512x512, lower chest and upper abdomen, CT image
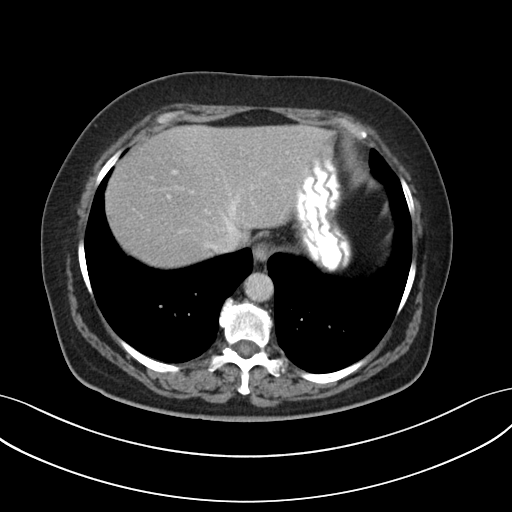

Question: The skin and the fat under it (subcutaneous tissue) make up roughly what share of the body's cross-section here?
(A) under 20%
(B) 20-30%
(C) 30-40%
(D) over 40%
Answer: (B) 20-30%
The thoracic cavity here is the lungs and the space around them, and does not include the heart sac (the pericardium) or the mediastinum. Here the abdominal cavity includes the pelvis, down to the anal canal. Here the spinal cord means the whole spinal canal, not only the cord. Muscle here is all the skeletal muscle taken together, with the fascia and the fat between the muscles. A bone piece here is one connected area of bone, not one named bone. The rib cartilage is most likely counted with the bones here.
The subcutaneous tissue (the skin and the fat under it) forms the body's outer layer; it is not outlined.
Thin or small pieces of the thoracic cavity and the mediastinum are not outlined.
torso: 194,70 343,78 381,92 417,124 445,185 453,246 437,308 431,352 412,384 389,396 338,412 278,421 238,422 179,417 142,409 109,398 73,375 56,335 42,279 40,230 48,192 71,146 105,105 145,81
abdominal cavity: 250,110 267,110 295,121 346,130 353,159 387,192 394,232 391,253 383,267 355,281 344,281 320,271 273,233 263,233 241,249 177,269 150,267 124,253 108,225 104,193 113,166 126,149 167,124 213,121
thoracic cavity 1: 112,167 103,193 104,213 113,238 126,256 150,268 167,271 189,267 244,248 251,249 251,271 221,306 218,316 221,335 217,336 205,352 195,358 171,363 142,353 116,333 98,306 88,273 84,239 97,188
thoracic cavity 2: 370,148 379,153 397,176 410,216 411,261 405,285 390,325 369,352 334,371 306,371 290,362 272,338 275,287 267,262 276,252 302,257 323,274 344,282 360,280 386,265 394,245 395,220 386,187 371,172
muscle 1: 183,102 196,103 197,104 213,104 214,105 263,105 264,106 279,106 280,107 330,109 331,110 346,112 349,114 361,118 376,128 397,158 404,165 413,177 418,192 422,200 426,223 427,224 427,228 428,229 425,288 424,289 424,299 423,300 423,306 422,307 422,313 421,314 421,321 419,324 418,331 413,341 411,343 408,350 404,354 367,379 358,382 351,387 349,387 336,394 322,398 298,400 276,406 265,406 263,407 252,404 245,396 242,395 234,396 223,403 214,403 198,398 183,398 182,399 181,398 168,397 164,395 161,395 151,390 133,376 130,375 117,365 111,362 94,348 83,337 77,329 71,315 70,303 68,297 68,288 67,287 66,252 68,245 68,239 69,238 69,232 71,225 72,212 77,202 78,197 82,189 88,171 102,153 113,142 132,125 140,120 148,113 154,111 164,105 167,105 172,103 182,103; inner edge: 174,110 184,113 168,124 213,121 250,110 267,110 295,121 337,128 342,127 335,119 345,118 366,131 367,136 361,141 375,149 397,177 405,180 414,206 410,222 415,276 402,309 364,356 367,361 355,371 335,381 317,383 301,377 297,371 304,370 289,361 278,376 255,365 249,370 249,393 243,395 237,390 241,371 236,364 227,362 214,371 208,370 210,356 219,354 226,344 220,334 199,356 176,363 181,367 176,372 146,367 119,343 118,334 87,290 78,261 78,242 85,238 98,187 96,177 102,166 117,150 124,151 166,125 158,123 156,118
muscle 2: 272,339 274,339 275,340 275,342 276,343 277,346 279,348 279,349 280,350 282,355 278,355 277,356 273,356 272,357 271,357 270,356 270,355 269,354 269,353 266,348 267,347 267,346 270,343 270,342
mediastinum 1: 263,234 273,234 280,236 300,255 296,256 289,253 276,251 272,253 267,259 267,273 272,280 274,287 273,318 266,309 246,298 241,301 236,301 230,296 252,271 252,249 250,247 247,247 251,245 257,237
mediastinum 2: 347,131 358,140 361,140 361,141 365,144 368,148 369,148 367,152 367,155 368,156 368,158 367,159 368,160 367,161 368,162 370,172 375,178 373,178 369,175 366,174 354,159 353,153 350,146
bones 1: 229,297 236,302 246,299 268,312 273,327 265,348 271,358 283,355 288,360 278,376 261,365 253,366 249,370 249,393 245,395 237,390 241,371 236,364 227,362 208,370 210,356 219,354 226,344 219,316 with a hole at 241,340 247,340 248,341 251,341 252,342 253,342 257,346 257,347 258,348 258,350 255,353 254,353 252,355 251,355 249,357 243,357 242,356 241,356 234,349 234,345 237,342 238,342 239,341 240,341
bones 2: 364,357 367,357 368,358 367,361 363,365 359,367 355,371 335,381 331,381 326,383 317,383 304,379 301,377 297,372 297,371 305,371 306,372 316,373 317,374 330,373 342,369 347,366 349,366
bones 3: 118,336 142,354 152,359 154,359 161,362 170,363 171,364 178,365 180,366 181,368 176,372 159,372 158,371 155,371 150,368 146,367 143,364 140,363 137,360 136,360 122,347 118,341 118,339 117,338
bones 4: 81,238 82,238 84,241 85,262 87,267 87,273 89,277 90,285 91,286 91,288 93,292 93,296 94,297 92,297 87,290 87,288 83,280 82,274 79,266 78,254 77,253 77,247 78,246 78,242
bones 5: 412,259 414,259 416,263 415,276 413,280 413,283 412,284 411,289 407,297 407,299 400,312 396,315 396,311 400,303 400,301 406,285 406,282 407,281 407,278 408,277 408,274 409,273 409,270 410,269
bones 6: 336,118 345,118 351,122 353,122 356,124 358,124 363,129 364,129 366,131 367,133 367,136 366,138 364,139 358,139 351,133 350,133 345,128 342,127 340,125 340,124 337,121 336,121 335,119
bones 7: 119,149 122,149 123,150 123,152 115,162 115,163 106,173 106,174 103,177 103,178 101,180 99,184 97,186 96,186 95,185 95,182 96,181 96,177 99,171 101,169 102,166 105,163 105,162 117,150
bones 8: 400,177 402,177 405,180 411,192 411,195 412,196 412,199 413,200 413,205 414,206 414,211 412,215 410,215 410,213 408,209 408,206 406,202 406,199 405,198 405,196 402,189 402,186 399,179
bones 9: 174,110 183,110 184,111 184,113 183,114 181,115 179,115 177,117 172,119 167,123 164,123 163,124 161,124 160,123 158,123 156,121 156,118 158,116 158,115 164,112 167,112 168,111 173,111
spinal cord: 241,340 247,340 248,341 251,341 252,342 253,342 257,346 257,347 258,348 258,350 255,353 254,353 252,355 251,355 249,357 243,357 242,356 241,356 234,349 234,345 237,342 238,342 239,341 240,341